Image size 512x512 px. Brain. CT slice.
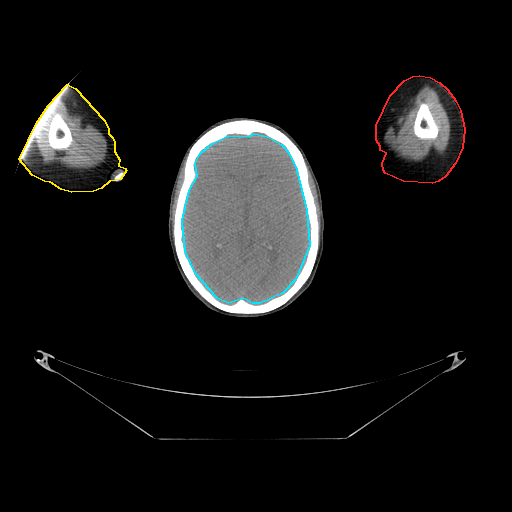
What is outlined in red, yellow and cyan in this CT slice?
red: left arm; yellow: right arm; cyan: brain.
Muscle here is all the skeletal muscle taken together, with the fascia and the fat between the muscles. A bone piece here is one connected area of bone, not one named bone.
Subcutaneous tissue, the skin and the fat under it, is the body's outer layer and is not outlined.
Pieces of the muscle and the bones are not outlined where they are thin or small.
The left arm is outlined by 419,75 430,77 439,82 447,89 455,100 460,110 464,129 462,147 455,163 445,176 438,181 432,183 403,181 385,173 383,170 382,163 386,153 380,150 380,146 376,140 376,125 390,95 404,80 412,76. The right arm is outlined by 67,84 75,88 103,119 108,128 108,133 112,137 114,142 114,151 119,159 118,165 125,168 126,170 120,179 109,181 101,188 93,191 71,192 61,189 50,182 44,181 32,175 19,159 36,123 48,105. The brain is outlined by 253,133 267,136 281,144 288,152 296,169 306,210 309,245 295,279 282,293 260,303 252,303 243,298 228,303 217,298 195,273 185,251 182,220 189,190 197,176 195,163 200,153 212,143 228,135 249,136. The bones appear in 3 outlined pieces: piece 1: 241,119 252,119 277,128 300,150 307,166 308,183 313,196 319,225 318,251 309,277 285,303 261,313 228,312 212,305 202,297 186,277 179,263 173,239 174,213 184,178 185,160 191,146 211,128 228,121 with a hole at 253,133 267,136 281,144 288,152 296,169 306,210 309,245 295,279 282,293 260,303 252,303 243,298 228,303 217,298 195,273 185,251 182,220 189,190 197,176 195,163 200,153 212,143 228,135 249,136; piece 2: 56,111 59,111 61,114 64,121 67,124 70,130 71,136 72,137 72,142 71,144 66,149 63,149 62,150 54,149 51,147 49,145 46,136 47,135 47,130 48,129 49,120 54,112; piece 3: 422,102 424,102 428,104 431,114 436,124 438,126 437,136 435,138 433,138 432,139 430,138 428,138 427,139 421,139 417,137 414,134 414,130 413,129 414,121 416,117 416,114 417,113 418,108. The muscle appears in 4 outlined pieces: piece 1: 62,89 77,110 86,118 88,122 92,124 102,133 107,142 108,150 106,160 101,164 93,168 75,169 65,167 59,163 43,164 40,162 34,161 27,156 25,147 29,136 31,134 36,123 48,105; inner edge: 56,111 59,111 61,114 64,121 67,124 70,130 71,136 72,137 72,142 71,144 66,149 63,149 62,150 54,149 51,147 49,145 46,136 47,135 47,130 48,129 49,120 54,112; piece 2: 426,83 437,89 446,105 450,118 451,124 450,130 451,131 449,143 443,154 435,160 428,160 419,162 413,160 407,160 397,156 384,142 384,135 388,126 391,111 398,102 418,87 420,87, around a hole outlined by 422,102 424,102 428,104 431,114 436,124 438,126 437,136 435,138 433,138 432,139 430,138 428,138 427,139 421,139 417,137 414,134 414,130 413,129 414,121 416,117 416,114 417,113 418,108; piece 3: 309,170 315,185 315,188 317,193 317,198 318,199 318,204 320,209 320,234 319,234 320,225 319,224 319,219 318,218 318,214 316,209 315,200 314,199 314,196 312,193 312,191 310,187 310,184 309,183; piece 4: 184,162 184,166 183,167 183,178 182,179 181,185 178,191 178,194 176,198 176,203 174,208 174,212 173,213 172,232 171,214 172,213 173,200 175,195 175,190 176,189 177,182 179,178 179,175. The head is outlined by 229,117 268,120 285,129 305,152 318,181 322,198 324,245 312,283 290,305 278,312 261,317 241,318 226,316 209,309 200,302 182,280 174,263 168,239 167,224 170,194 182,157 188,146 204,129 218,120.